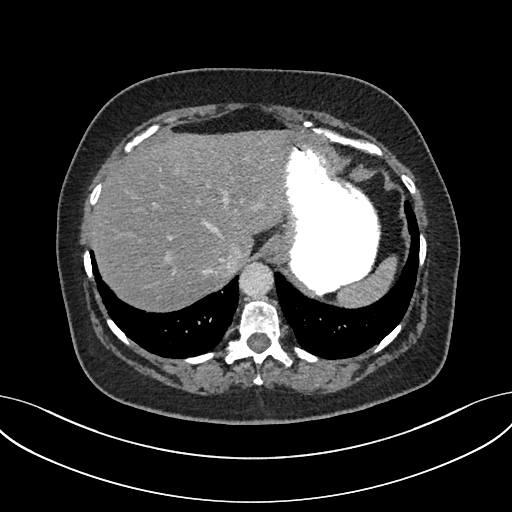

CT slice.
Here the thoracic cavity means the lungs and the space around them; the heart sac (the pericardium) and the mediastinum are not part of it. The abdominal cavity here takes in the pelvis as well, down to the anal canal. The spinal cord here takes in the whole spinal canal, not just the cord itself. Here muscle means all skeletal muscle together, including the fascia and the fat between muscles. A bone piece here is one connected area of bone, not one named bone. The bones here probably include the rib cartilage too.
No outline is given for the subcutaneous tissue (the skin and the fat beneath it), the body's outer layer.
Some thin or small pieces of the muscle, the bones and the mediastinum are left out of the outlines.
{"torso":[[[202,67],[305,69],[346,74],[381,88],[409,113],[445,183],[460,240],[449,348],[443,366],[430,382],[385,402],[331,417],[234,425],[180,419],[136,408],[109,397],[88,378],[73,347],[56,262],[57,206],[66,171],[90,121],[112,96],[154,75]]],"bones":[{"outer":[[253,300],[265,300],[276,308],[280,319],[281,342],[292,359],[291,365],[287,367],[271,356],[266,357],[258,369],[263,381],[261,385],[253,382],[258,369],[251,357],[241,358],[230,364],[224,360],[226,354],[224,346],[235,332],[240,310],[245,303]],"hole":[[255,333],[261,333],[262,334],[264,334],[269,339],[269,341],[270,342],[270,343],[269,344],[269,345],[264,350],[263,350],[262,351],[261,351],[260,352],[256,352],[254,350],[253,350],[249,346],[249,345],[248,344],[248,339],[253,334],[254,334]]},[[305,120],[311,120],[315,126],[327,128],[336,131],[344,136],[352,138],[359,138],[371,142],[379,147],[383,154],[381,156],[371,155],[349,145],[344,145],[339,142],[331,141],[327,137],[325,137],[320,133],[313,130],[310,127],[303,126],[302,123]],[[155,123],[158,123],[160,124],[161,127],[156,129],[150,135],[143,138],[141,140],[137,142],[127,151],[125,152],[124,151],[123,149],[124,148],[124,146],[128,141],[131,140],[134,137],[134,136],[135,136],[137,134],[144,131],[150,125],[154,124]],[[400,322],[401,322],[402,323],[402,328],[401,329],[401,330],[398,333],[398,334],[392,340],[392,341],[391,342],[390,342],[384,348],[383,348],[380,351],[379,351],[376,353],[374,353],[373,352],[373,349],[375,347],[375,346],[385,336],[386,336]],[[107,317],[109,317],[111,318],[111,319],[116,324],[116,325],[127,336],[127,337],[129,338],[132,341],[132,342],[129,345],[127,345],[125,344],[122,341],[121,341],[113,333],[113,332],[110,329],[110,328],[108,326],[106,322],[106,318]],[[210,351],[215,351],[216,352],[219,352],[220,354],[216,355],[212,358],[206,361],[204,361],[203,362],[200,362],[196,364],[192,364],[191,363],[184,362],[182,360],[182,359],[184,359],[187,357],[193,357],[194,356],[201,355],[202,354],[204,354]],[[292,345],[296,345],[297,346],[300,347],[302,349],[305,350],[307,352],[317,356],[319,358],[319,359],[317,361],[316,361],[315,362],[309,362],[304,359],[302,359],[301,358],[299,358],[293,352],[293,351],[291,349],[291,346]],[[420,233],[422,233],[424,235],[424,236],[425,237],[425,238],[426,239],[426,243],[427,244],[427,246],[426,247],[426,254],[425,255],[425,258],[424,259],[424,261],[423,262],[423,264],[422,265],[422,266],[421,266],[420,267],[419,267],[419,234]],[[85,249],[88,249],[89,250],[89,255],[90,256],[90,259],[91,260],[91,267],[92,268],[92,273],[93,274],[93,277],[94,278],[93,280],[90,279],[88,277],[84,269],[84,266],[83,265],[83,258],[82,257],[82,255]],[[401,174],[405,174],[407,175],[410,178],[411,178],[411,179],[414,182],[415,184],[415,188],[416,189],[415,190],[415,193],[413,195],[410,194],[409,192],[406,189],[404,184],[402,182],[400,178],[400,176]],[[100,182],[101,182],[101,185],[102,186],[101,187],[101,190],[99,194],[99,197],[97,199],[97,201],[95,203],[95,204],[94,205],[91,205],[89,201],[89,197],[90,196],[90,194],[93,188],[98,183]]],"muscle":[{"outer":[[229,102],[240,102],[241,103],[251,102],[252,103],[263,103],[264,104],[278,104],[301,109],[312,109],[327,112],[335,117],[349,122],[352,125],[354,125],[373,135],[410,168],[419,183],[426,207],[428,219],[428,229],[429,230],[428,234],[429,235],[430,264],[427,282],[428,299],[427,300],[427,317],[425,325],[421,332],[421,335],[417,339],[417,341],[408,349],[401,353],[397,357],[389,361],[385,365],[381,366],[376,370],[371,372],[361,380],[345,388],[321,395],[305,395],[301,393],[293,393],[279,390],[273,390],[261,386],[251,386],[248,388],[240,389],[237,391],[224,392],[219,394],[213,394],[209,396],[195,394],[164,384],[152,377],[142,374],[137,371],[130,365],[117,357],[109,349],[107,349],[101,343],[94,331],[92,323],[90,320],[89,313],[86,307],[85,295],[82,284],[82,276],[79,260],[79,245],[78,244],[79,227],[81,220],[82,208],[84,204],[88,186],[93,177],[102,163],[121,139],[135,126],[147,119],[164,111],[171,109],[189,106],[205,105],[206,104],[228,103]],"holes":[[[248,107],[299,126],[311,120],[315,126],[379,147],[383,154],[375,157],[395,176],[405,174],[415,184],[415,193],[408,191],[407,198],[418,231],[427,244],[412,295],[400,320],[402,328],[384,348],[374,353],[374,345],[353,356],[320,357],[309,362],[293,352],[291,346],[295,343],[281,322],[281,342],[292,363],[287,367],[271,356],[266,357],[258,369],[261,385],[253,382],[258,369],[251,357],[230,364],[224,360],[224,346],[233,336],[236,323],[213,350],[220,354],[196,364],[158,355],[133,340],[125,344],[106,322],[110,316],[95,280],[84,269],[82,257],[84,250],[92,246],[94,206],[90,204],[90,194],[125,153],[123,149],[128,141],[155,123],[162,128]],[[168,117],[175,117],[176,118],[174,120],[173,120],[171,122],[168,122],[167,123],[166,123],[165,122],[164,122],[164,119],[165,118],[167,118]]]}],"mediastinum":[[[255,259],[270,261],[277,269],[278,271],[274,273],[277,300],[284,319],[295,334],[298,345],[295,344],[288,329],[281,322],[277,308],[265,299],[245,302],[239,310],[237,322],[227,330],[227,333],[226,329],[238,308],[239,277],[236,274],[248,262]],[[324,137],[331,142],[339,143],[344,146],[349,146],[373,156],[383,162],[393,174],[400,179],[407,191],[407,199],[404,202],[404,190],[397,180],[392,179],[389,171],[381,167],[367,168],[360,162],[353,161],[348,155],[343,155],[338,149],[333,147]]],"spinal_cord":[[[255,333],[261,333],[262,334],[264,334],[269,339],[269,341],[270,342],[270,343],[269,344],[269,345],[264,350],[263,350],[262,351],[261,351],[260,352],[256,352],[254,350],[253,350],[249,346],[249,345],[248,344],[248,339],[253,334],[254,334]]],"abdominal_cavity":[[[248,107],[311,129],[343,156],[367,169],[381,168],[400,184],[409,250],[394,284],[382,297],[352,309],[323,303],[302,294],[264,258],[248,261],[221,291],[169,312],[138,309],[118,298],[102,279],[90,249],[92,216],[103,176],[133,146],[160,128]]],"thoracic_cavity":[[[408,199],[415,215],[419,232],[418,267],[412,295],[400,321],[375,345],[349,357],[319,357],[299,346],[296,334],[281,310],[276,289],[275,273],[279,272],[305,297],[323,304],[350,310],[373,304],[392,288],[406,263],[411,242],[404,211],[404,203]],[[90,250],[94,254],[101,279],[115,296],[122,302],[147,313],[169,313],[186,308],[214,292],[221,292],[237,275],[237,308],[225,329],[226,335],[220,345],[213,350],[201,354],[184,358],[173,358],[153,353],[136,343],[117,325],[107,311],[95,281]]]}